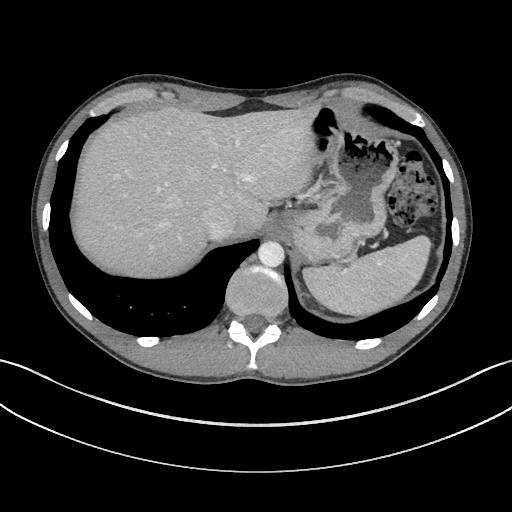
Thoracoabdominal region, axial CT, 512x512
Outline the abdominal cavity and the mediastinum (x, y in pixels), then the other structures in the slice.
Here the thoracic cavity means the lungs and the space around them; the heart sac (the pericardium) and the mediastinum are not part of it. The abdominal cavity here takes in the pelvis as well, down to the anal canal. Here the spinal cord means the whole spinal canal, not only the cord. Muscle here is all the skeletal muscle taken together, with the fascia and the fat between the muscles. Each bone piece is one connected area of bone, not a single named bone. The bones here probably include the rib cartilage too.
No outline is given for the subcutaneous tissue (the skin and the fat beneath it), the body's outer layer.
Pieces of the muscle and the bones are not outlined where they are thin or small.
The abdominal cavity is outlined by 334 323; 405 303; 435 280; 445 241; 443 186; 415 136; 369 116; 365 106; 375 103; 342 96; 225 110; 150 99; 106 113; 81 148; 68 212; 74 242; 93 265; 114 276; 167 279; 217 247; 277 237; 288 248; 298 302. The mediastinum is outlined by 284 277; 283 271; 284 268; 287 266; 287 248; 285 247; 283 242; 278 240; 277 238; 266 237; 262 238; 261 240; 258 240; 259 241; 258 247; 246 257; 237 268; 239 267; 245 267; 251 264; 259 264; 266 267; 269 267; 277 271. The spinal cord is outlined by 248 333; 261 333; 263 331; 263 330; 265 328; 265 327; 269 323; 269 318; 268 318; 261 314; 258 314; 257 313; 251 313; 250 314; 247 314; 246 315; 243 316; 241 318; 241 319; 240 320; 241 321; 241 322; 244 325; 244 326. The bones appear in 10 outlined pieces: piece 1: 249 369; 257 368; 255 356; 258 349; 278 339; 281 331; 273 319; 288 305; 288 293; 284 278; 277 272; 259 265; 235 270; 229 279; 225 292; 224 303; 235 315; 229 324; 228 334; 232 341; 240 342; 249 349; 250 358; 246 366 with a hole at 248 333; 261 333; 263 331; 263 330; 265 328; 265 327; 269 323; 269 318; 268 318; 261 314; 258 314; 257 313; 251 313; 250 314; 247 314; 246 315; 243 316; 241 318; 241 319; 240 320; 241 321; 241 322; 244 325; 244 326; piece 2: 422 128; 425 126; 425 122; 422 116; 417 111; 410 108; 407 108; 405 106; 393 101; 381 94; 362 87; 349 87; 348 88; 344 88; 341 91; 341 95; 343 96; 353 97; 358 99; 365 99; 372 102; 379 103; 387 107; 406 121; piece 3: 89 116; 96 116; 105 113; 109 111; 112 108; 129 101; 134 101; 140 99; 154 98; 156 97; 157 93; 156 91; 153 89; 147 89; 146 88; 134 88; 131 90; 117 93; 113 96; 109 97; 99 102; 96 105; 92 107; 88 111; piece 4: 358 349; 367 349; 368 348; 371 348; 372 347; 374 347; 378 344; 379 344; 382 341; 382 339; 381 337; 376 337; 375 338; 368 338; 367 339; 362 339; 361 340; 357 340; 355 341; 355 343; 354 344; 354 347; piece 5: 90 320; 91 320; 93 318; 93 316; 92 315; 92 314; 70 292; 68 292; 68 293; 67 294; 67 295; 68 296; 68 298; 69 299; 69 300; 70 301; 70 302; 73 305; 73 306; 81 314; 82 314; 86 318; 87 318; piece 6: 416 320; 419 320; 420 319; 421 319; 424 316; 425 316; 433 308; 433 307; 436 304; 436 303; 437 302; 437 300; 438 299; 438 294; 437 293; 436 293; 423 306; 423 307; 419 311; 419 312; 413 318; 414 319; 415 319; piece 7: 452 247; 456 247; 458 245; 458 244; 459 243; 459 225; 458 224; 458 220; 457 219; 457 218; 456 217; 456 216; 455 216; 454 215; 453 215; 453 216; 452 217; 452 220; 451 221; 451 237; 452 238; piece 8: 46 232; 47 231; 48 231; 48 227; 49 226; 49 219; 50 218; 50 202; 49 201; 47 201; 45 203; 45 204; 44 205; 44 206; 43 207; 43 210; 42 211; 42 227; 43 228; 43 230; 44 231; 45 231; piece 9: 450 183; 452 183; 454 181; 454 178; 453 177; 453 173; 452 172; 452 170; 451 169; 451 168; 450 167; 450 165; 447 161; 447 160; 445 158; 441 158; 441 161; 442 162; 442 165; 443 166; 443 169; 444 170; 444 172; piece 10: 56 161; 58 161; 61 158; 61 157; 66 151; 66 149; 67 148; 67 146; 68 145; 68 143; 69 142; 69 139; 65 139; 64 140; 64 141; 60 145; 59 148; 57 150; 57 151; 56 152; 56 154; 55 155; 55 160. The thoracic cavity appears in 2 outlined pieces: piece 1: 160 337; 207 325; 223 305; 229 277; 258 241; 217 248; 193 270; 173 279; 136 280; 98 270; 75 246; 67 218; 80 148; 89 132; 107 118; 106 114; 90 117; 72 136; 58 164; 50 200; 51 249; 68 289; 94 316; 121 331; piece 2: 353 340; 382 336; 411 319; 437 291; 451 250; 449 183; 440 158; 421 128; 379 104; 369 104; 366 112; 415 135; 440 172; 446 202; 446 241; 433 285; 405 304; 352 324; 330 323; 304 310; 285 268; 288 307; 296 321; 317 334. The muscle is outlined by 279 379; 313 378; 371 366; 409 341; 445 306; 459 271; 466 219; 459 173; 440 137; 423 115; 426 122; 423 129; 454 173; 450 193; 452 211; 459 220; 460 243; 452 248; 434 308; 421 320; 412 319; 383 336; 379 345; 367 350; 355 349; 352 340; 327 338; 306 330; 287 308; 274 319; 282 331; 279 339; 259 349; 258 368; 249 370; 245 367; 248 349; 228 337; 227 327; 234 315; 224 304; 204 328; 163 337; 151 347; 140 346; 135 341; 136 336; 118 331; 95 317; 91 321; 86 319; 72 306; 50 249; 48 232; 41 227; 42 207; 50 199; 55 180; 58 162; 54 155; 59 145; 89 117; 87 111; 92 106; 134 87; 155 89; 156 99; 184 100; 225 109; 254 99; 282 106; 302 106; 325 96; 341 96; 344 87; 362 86; 413 108; 376 84; 355 80; 262 97; 213 92; 168 82; 135 82; 115 87; 97 97; 71 120; 56 141; 38 193; 36 217; 41 256; 57 298; 85 329; 142 366; 186 376; 227 376; 256 370, around a hole outlined by 164 97; 172 97; 173 96; 173 94; 172 93; 171 93; 170 92; 168 92; 167 91; 162 91; 160 93; 160 94; 162 96; 163 96. The torso is outlined by 289 387; 374 373; 414 346; 447 314; 462 283; 473 234; 468 183; 452 145; 423 108; 388 83; 363 73; 339 72; 261 88; 139 73; 102 87; 78 105; 54 133; 32 190; 31 239; 54 305; 97 347; 139 372; 197 385; 256 379.